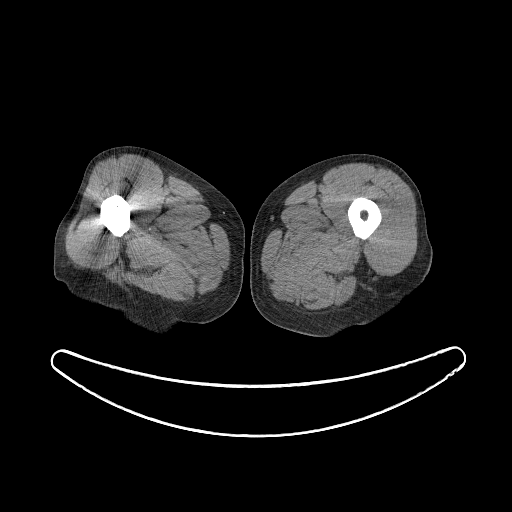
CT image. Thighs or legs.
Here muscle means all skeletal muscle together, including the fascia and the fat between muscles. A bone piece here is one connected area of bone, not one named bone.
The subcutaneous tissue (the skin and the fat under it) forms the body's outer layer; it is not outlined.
Outlined structures:
left leg: 350 153; 367 153; 387 158; 400 166; 416 184; 421 195; 427 234; 433 250; 429 272; 423 282; 389 312; 369 324; 352 326; 334 336; 310 336; 274 325; 260 314; 253 303; 250 293; 250 241; 256 214; 268 194; 294 173; 318 161
right leg: 123 145; 134 145; 154 150; 188 168; 223 193; 240 215; 245 229; 242 287; 235 303; 218 318; 201 324; 181 322; 167 333; 155 334; 126 322; 112 309; 74 297; 66 285; 54 277; 55 233; 61 219; 74 199; 87 164; 99 152
bones 1: 359 196; 363 196; 364 197; 366 197; 369 199; 373 200; 378 205; 381 212; 381 221; 379 225; 366 239; 361 239; 359 237; 357 237; 354 234; 352 227; 349 222; 349 220; 347 216; 347 209; 350 203; 355 197; 358 197
bones 2: 114 193; 121 195; 126 200; 127 200; 130 205; 130 208; 131 209; 131 211; 130 212; 130 227; 129 229; 120 237; 118 236; 115 236; 109 230; 108 230; 101 222; 101 215; 100 214; 100 204; 101 203; 101 201; 102 199
muscle 1: 352 162; 379 164; 389 168; 410 187; 415 197; 417 211; 418 244; 415 256; 398 276; 382 284; 347 309; 326 315; 309 315; 294 311; 274 298; 264 281; 260 263; 263 243; 274 227; 284 200; 294 189; 302 183; 319 177; 332 167, around a hole outlined by 359 196; 363 196; 364 197; 366 197; 369 199; 373 200; 378 205; 381 212; 381 221; 379 225; 366 239; 361 239; 359 237; 357 237; 354 234; 352 227; 349 222; 349 220; 347 216; 347 209; 350 203; 355 197; 358 197
muscle 2: 123 153; 147 157; 182 176; 202 194; 218 223; 225 230; 230 245; 229 266; 221 283; 206 300; 195 305; 180 305; 133 294; 112 283; 108 278; 77 266; 67 257; 64 244; 66 228; 79 210; 83 192; 94 166; 98 161; 113 154, around a hole outlined by 114 193; 121 195; 126 200; 127 200; 130 205; 130 208; 131 209; 131 211; 130 212; 130 227; 129 229; 120 237; 118 236; 115 236; 109 230; 108 230; 101 222; 101 215; 100 214; 100 204; 101 203; 101 201; 102 199